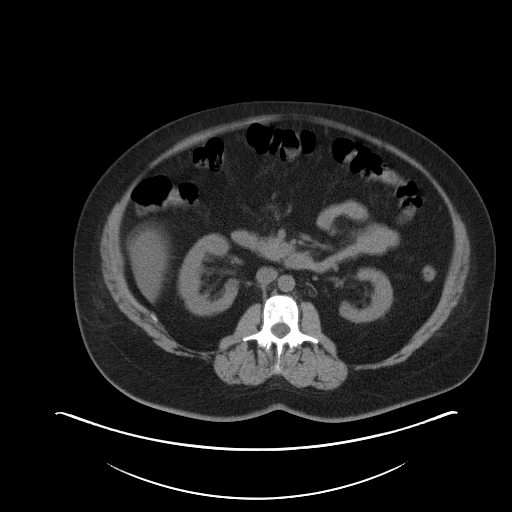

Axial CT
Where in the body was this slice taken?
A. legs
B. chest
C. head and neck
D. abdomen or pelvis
Answer: D. abdomen or pelvis
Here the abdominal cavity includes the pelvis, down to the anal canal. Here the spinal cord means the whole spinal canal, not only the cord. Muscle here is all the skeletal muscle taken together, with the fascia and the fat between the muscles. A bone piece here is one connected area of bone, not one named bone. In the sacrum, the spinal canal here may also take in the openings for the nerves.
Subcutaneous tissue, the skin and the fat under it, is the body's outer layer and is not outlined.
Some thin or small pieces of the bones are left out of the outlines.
{"muscle":[{"outer":[[265,114],[283,114],[284,115],[297,114],[300,116],[316,116],[317,117],[322,117],[356,128],[400,149],[419,162],[437,181],[463,221],[469,239],[469,243],[470,244],[469,270],[467,277],[465,280],[464,289],[458,303],[452,309],[449,316],[440,328],[421,346],[417,348],[405,360],[393,365],[383,366],[375,369],[363,369],[362,370],[354,371],[350,373],[346,379],[338,387],[331,390],[327,390],[324,392],[308,392],[305,391],[299,387],[296,387],[292,385],[282,376],[272,376],[257,386],[250,387],[246,389],[240,389],[229,386],[217,376],[212,367],[212,365],[210,363],[207,363],[205,361],[196,357],[182,356],[168,352],[154,343],[152,338],[145,331],[130,320],[118,308],[116,303],[113,300],[108,289],[106,287],[102,276],[102,272],[101,271],[101,256],[99,250],[99,244],[100,243],[100,239],[101,238],[103,227],[107,219],[107,216],[114,204],[121,198],[125,191],[129,187],[138,174],[152,160],[180,140],[196,132],[217,125],[229,123],[233,121],[242,120],[248,117],[264,115]],"hole":[[282,120],[383,148],[423,174],[447,208],[453,247],[439,299],[380,360],[342,359],[307,300],[298,327],[318,342],[285,345],[279,373],[274,345],[242,339],[262,326],[260,302],[215,349],[188,347],[154,323],[129,285],[120,229],[136,183],[212,136]]}],"spinal_cord":[[[277,323],[283,323],[284,324],[285,324],[289,328],[289,331],[286,334],[285,334],[283,336],[282,336],[281,337],[279,337],[278,336],[277,336],[276,335],[275,335],[272,332],[272,331],[271,330],[271,329],[272,328],[272,327],[275,324],[276,324]]],"abdominal_cavity":[[[282,120],[334,128],[383,148],[423,174],[447,208],[453,247],[439,299],[407,341],[380,360],[342,359],[322,331],[316,307],[307,300],[298,304],[285,293],[248,306],[215,349],[188,347],[168,333],[129,285],[120,229],[136,183],[165,159],[212,136]]],"bones":[{"outer":[[275,294],[289,295],[295,300],[299,310],[300,331],[318,339],[317,343],[304,341],[292,349],[285,345],[280,355],[279,373],[274,372],[274,365],[277,361],[274,345],[267,350],[259,347],[254,339],[246,341],[242,339],[261,328],[264,302]],"hole":[[277,323],[283,323],[284,324],[285,324],[289,328],[289,331],[286,334],[285,334],[283,336],[282,336],[281,337],[279,337],[278,336],[277,336],[276,335],[275,335],[272,332],[272,331],[271,330],[271,329],[272,328],[272,327],[275,324],[276,324]]}],"torso":[[[263,98],[337,102],[388,115],[437,143],[474,183],[493,225],[496,273],[486,347],[464,382],[353,421],[316,421],[280,409],[238,421],[208,421],[140,403],[114,387],[96,368],[80,335],[72,290],[73,238],[92,186],[126,148],[163,123],[202,108]]]}